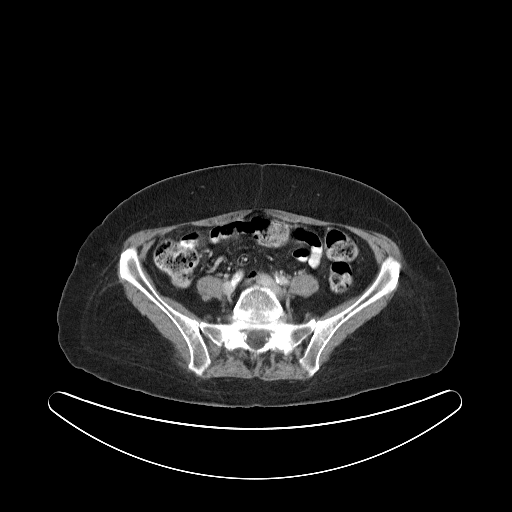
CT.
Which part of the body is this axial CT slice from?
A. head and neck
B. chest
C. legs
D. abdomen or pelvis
D. abdomen or pelvis
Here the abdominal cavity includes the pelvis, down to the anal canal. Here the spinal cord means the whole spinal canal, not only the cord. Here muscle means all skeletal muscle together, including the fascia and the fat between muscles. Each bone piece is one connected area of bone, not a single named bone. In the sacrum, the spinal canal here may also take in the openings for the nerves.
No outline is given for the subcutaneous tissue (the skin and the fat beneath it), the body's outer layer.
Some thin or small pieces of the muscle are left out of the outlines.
{"bones":[{"outer":[[131,246],[166,303],[209,323],[228,322],[242,290],[257,282],[273,289],[289,322],[304,323],[351,305],[388,256],[400,273],[392,291],[334,332],[311,377],[299,362],[309,336],[286,355],[228,350],[205,336],[210,363],[198,376],[175,324],[119,276]],"hole":[[251,330],[265,330],[268,332],[268,336],[266,338],[266,341],[265,341],[262,344],[262,345],[261,346],[260,346],[259,347],[254,347],[248,343],[248,342],[247,341],[247,340],[248,339],[248,331],[250,331]]}],"abdominal_cavity":[{"outer":[[255,210],[284,221],[351,231],[365,240],[374,254],[378,269],[373,280],[361,294],[321,315],[308,312],[301,322],[286,312],[274,289],[263,281],[241,290],[224,322],[211,321],[209,315],[201,317],[161,294],[143,264],[157,236],[190,225],[213,225]],"hole":[[302,271],[306,272],[308,274],[310,274],[315,278],[316,278],[318,282],[318,284],[319,285],[319,288],[316,292],[306,297],[303,297],[299,295],[293,295],[289,290],[289,288],[290,287],[290,282],[292,278],[296,276],[299,273],[299,272],[301,272]]}],"spinal_cord":[[[251,330],[265,330],[268,332],[268,336],[266,338],[266,341],[265,341],[262,344],[262,345],[261,346],[260,346],[259,347],[254,347],[248,343],[248,342],[247,341],[247,340],[248,339],[248,331],[250,331]]],"muscle":[[[255,206],[280,209],[379,232],[397,244],[403,255],[406,267],[401,273],[399,287],[387,305],[338,345],[329,360],[324,364],[324,368],[316,373],[320,369],[321,354],[335,332],[355,314],[389,294],[397,287],[401,273],[401,263],[393,256],[388,255],[381,262],[379,268],[375,254],[368,242],[351,230],[338,225],[317,225],[284,220],[261,209],[255,209],[244,215],[232,216],[209,225],[190,224],[175,228],[154,238],[145,252],[142,264],[161,295],[179,302],[201,318],[209,316],[211,318],[210,321],[213,322],[209,322],[192,318],[166,302],[145,275],[138,250],[132,245],[126,247],[119,254],[118,276],[144,294],[174,324],[188,349],[189,359],[187,368],[198,377],[203,375],[211,363],[205,337],[228,351],[240,348],[257,356],[270,350],[279,350],[286,356],[309,337],[298,359],[308,379],[270,381],[256,377],[212,377],[201,379],[192,373],[186,372],[174,362],[172,358],[173,349],[170,343],[126,297],[122,285],[117,281],[116,265],[118,252],[125,239],[139,230],[203,219]],[[302,271],[306,272],[308,274],[310,274],[315,278],[316,278],[318,282],[318,284],[319,285],[319,288],[316,292],[306,297],[303,297],[299,295],[293,295],[289,290],[289,288],[290,287],[290,282],[292,278],[296,276],[299,273],[299,272],[301,272]],[[208,275],[210,275],[211,276],[214,276],[221,280],[221,297],[220,298],[217,298],[216,297],[214,297],[213,298],[212,298],[210,300],[208,300],[207,301],[205,301],[198,293],[198,292],[196,289],[196,283],[199,278],[200,278],[203,276],[207,276]],[[356,296],[359,296],[351,304],[350,304],[348,306],[347,306],[345,308],[335,314],[333,314],[328,317],[326,317],[322,319],[316,319],[312,317],[308,320],[304,322],[302,322],[305,319],[305,316],[308,313],[310,313],[313,315],[321,316],[328,310]]],"torso":[[[241,162],[295,164],[341,174],[378,189],[406,210],[446,264],[456,289],[459,330],[454,353],[440,371],[331,401],[276,407],[220,407],[153,396],[102,380],[70,364],[58,343],[56,313],[78,250],[90,231],[121,201],[147,185],[200,168]]]}